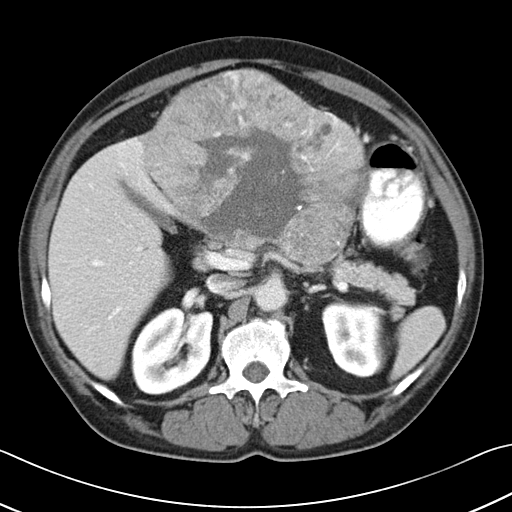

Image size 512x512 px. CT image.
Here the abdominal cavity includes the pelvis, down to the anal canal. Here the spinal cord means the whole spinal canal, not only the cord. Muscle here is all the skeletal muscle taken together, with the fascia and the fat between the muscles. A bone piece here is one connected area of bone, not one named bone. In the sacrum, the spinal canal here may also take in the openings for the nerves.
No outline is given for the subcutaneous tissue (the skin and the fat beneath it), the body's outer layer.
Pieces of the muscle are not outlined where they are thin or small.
bones 1: [[255,317],[277,319],[285,325],[291,352],[284,374],[308,385],[306,391],[290,391],[284,398],[274,389],[267,388],[259,399],[256,422],[256,407],[247,390],[238,391],[231,399],[224,393],[208,392],[211,386],[223,382],[229,373],[220,349],[225,335]] with a hole at [[252,362],[259,362],[260,363],[261,363],[262,364],[263,364],[268,369],[268,373],[266,375],[266,376],[262,380],[261,380],[260,381],[259,381],[258,382],[252,382],[250,380],[249,380],[247,378],[246,378],[243,375],[243,370],[250,363],[251,363]]
bones 2: [[421,365],[423,365],[424,366],[424,368],[421,372],[421,373],[401,393],[400,393],[396,396],[389,396],[390,393],[393,390],[393,389],[395,387],[395,386],[402,379],[403,379],[408,374],[411,373],[414,370],[415,370]]
bones 3: [[91,380],[93,380],[96,382],[98,382],[101,384],[103,384],[109,389],[113,391],[123,401],[123,402],[126,404],[126,406],[121,406],[117,404],[115,402],[108,399],[103,395],[102,395],[97,390],[96,390],[91,384],[91,382],[90,381]]
bones 4: [[461,268],[463,269],[465,272],[465,277],[466,278],[466,287],[465,288],[465,291],[464,292],[464,294],[462,298],[461,304],[459,306],[457,306],[457,304],[456,303],[456,297],[457,296],[457,282],[458,281],[458,273],[459,272],[459,270]]
bones 5: [[44,274],[45,275],[45,276],[47,279],[47,282],[48,283],[48,285],[49,286],[49,309],[47,309],[46,308],[46,307],[44,305],[44,304],[42,301],[42,298],[41,297],[41,280],[42,279],[42,275],[43,275]]
muscle: [[226,58],[271,58],[276,59],[290,64],[295,64],[312,69],[318,69],[330,72],[347,78],[375,92],[398,110],[405,114],[418,125],[426,134],[450,171],[467,209],[474,241],[474,250],[475,251],[474,279],[471,288],[470,297],[467,301],[467,307],[462,324],[451,348],[444,357],[441,366],[431,379],[421,387],[406,403],[393,414],[388,416],[386,420],[380,421],[372,428],[359,435],[336,443],[324,444],[306,449],[280,448],[277,446],[272,447],[263,440],[259,433],[253,433],[242,446],[233,448],[226,452],[219,452],[184,447],[173,444],[163,438],[160,438],[154,435],[142,433],[134,429],[131,430],[127,425],[125,425],[115,418],[113,418],[109,414],[101,410],[90,400],[77,392],[73,385],[68,380],[67,375],[54,358],[54,353],[46,343],[42,331],[39,326],[39,319],[37,314],[36,302],[31,284],[29,271],[29,260],[28,259],[29,234],[34,210],[36,207],[45,177],[64,144],[86,120],[102,108],[105,107],[115,98],[130,89],[154,78],[187,66],[198,65],[202,62]], around a hole outlined by [[238,63],[270,66],[356,100],[397,126],[419,153],[453,230],[466,287],[442,339],[421,364],[423,370],[396,396],[389,396],[395,384],[358,394],[326,387],[310,379],[291,353],[284,374],[308,389],[281,398],[267,388],[259,399],[256,422],[247,390],[231,399],[208,392],[229,373],[220,352],[206,379],[177,397],[122,398],[126,406],[121,406],[94,388],[56,335],[42,301],[41,280],[52,219],[82,144],[128,108]]
spinal cord: [[252,362],[259,362],[260,363],[261,363],[262,364],[263,364],[268,369],[268,373],[266,375],[266,376],[262,380],[261,380],[260,381],[259,381],[258,382],[252,382],[250,380],[249,380],[247,378],[246,378],[243,375],[243,370],[250,363],[251,363]]
abdominal cavity: [[238,63],[270,66],[356,100],[397,126],[419,153],[455,236],[456,296],[438,345],[396,384],[358,394],[326,387],[310,379],[291,353],[286,325],[255,316],[224,335],[202,383],[173,399],[128,400],[92,379],[56,335],[46,249],[82,144],[128,108]]
torso: [[231,35],[303,41],[375,73],[428,125],[478,215],[484,282],[470,345],[426,408],[374,448],[312,461],[282,462],[254,455],[232,463],[206,463],[118,446],[80,417],[27,331],[19,291],[18,234],[34,182],[60,134],[95,94],[132,67],[187,43]]